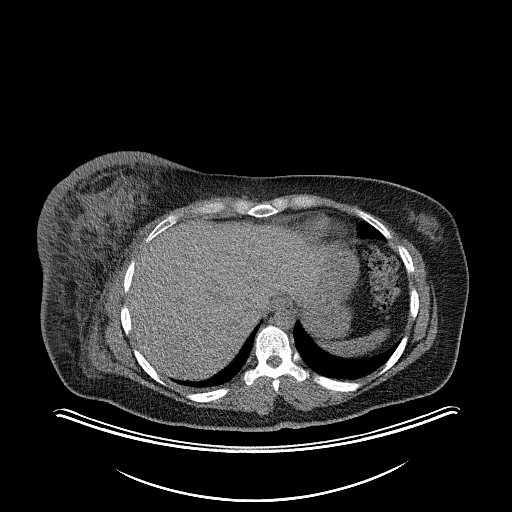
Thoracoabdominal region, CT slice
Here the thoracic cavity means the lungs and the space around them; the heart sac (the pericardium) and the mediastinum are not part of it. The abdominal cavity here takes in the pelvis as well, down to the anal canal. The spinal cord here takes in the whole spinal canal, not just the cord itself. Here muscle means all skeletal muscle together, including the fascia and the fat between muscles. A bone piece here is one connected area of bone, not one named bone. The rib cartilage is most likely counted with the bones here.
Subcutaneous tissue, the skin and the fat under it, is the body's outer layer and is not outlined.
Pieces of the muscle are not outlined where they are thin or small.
{"torso":[[[118,150],[150,152],[207,173],[371,177],[415,189],[437,200],[455,219],[469,273],[459,350],[448,380],[429,395],[380,407],[342,421],[254,432],[162,424],[70,391],[58,376],[41,335],[42,270],[36,249],[36,226],[45,198],[60,180],[87,160]]],"muscle":[[[213,196],[244,196],[271,202],[252,204],[248,200],[238,198],[229,204],[237,214],[209,215],[228,207],[224,201],[209,201],[191,209],[194,214],[206,215],[181,221],[181,211],[170,213],[146,236],[147,245],[136,263],[130,260],[123,276],[123,290],[129,295],[128,304],[120,308],[121,327],[125,335],[133,333],[138,348],[132,349],[133,355],[157,383],[166,387],[165,378],[191,392],[184,395],[187,399],[205,403],[225,396],[230,388],[222,386],[246,363],[253,365],[242,372],[243,382],[250,386],[266,376],[276,393],[283,375],[298,382],[311,379],[327,390],[354,392],[363,384],[354,380],[382,366],[377,375],[386,372],[406,348],[409,338],[403,335],[409,318],[416,318],[420,301],[417,289],[410,289],[408,275],[415,268],[409,251],[400,243],[397,251],[388,240],[393,237],[390,231],[371,214],[409,240],[422,256],[437,305],[437,332],[431,347],[391,377],[346,401],[304,411],[281,400],[264,415],[192,406],[127,377],[97,371],[88,358],[89,333],[100,301],[117,276],[132,241],[157,217]],[[288,194],[313,194],[322,197],[327,197],[340,202],[355,205],[358,207],[355,206],[352,208],[352,211],[355,215],[352,215],[333,207],[317,206],[320,204],[321,200],[319,198],[312,195],[298,194],[291,197],[288,197],[284,196],[284,195]]],"spinal_cord":[[[271,356],[277,356],[278,357],[279,357],[280,358],[280,359],[281,360],[281,361],[280,362],[280,363],[277,366],[276,366],[275,367],[273,367],[272,366],[271,366],[270,365],[269,365],[267,363],[267,360]]],"pericardium":[[[310,212],[336,213],[337,214],[340,214],[342,215],[346,219],[347,219],[348,221],[348,223],[350,226],[350,235],[349,236],[337,237],[336,238],[319,238],[301,229],[299,229],[291,223],[291,218],[294,216],[299,216],[302,214],[307,214]]],"bones":[{"outer":[[268,325],[280,328],[293,340],[291,346],[312,372],[331,379],[359,382],[361,386],[354,391],[337,391],[327,389],[311,378],[298,381],[289,374],[278,378],[277,392],[272,379],[266,375],[247,385],[242,379],[243,372],[254,365],[247,360],[258,331]],"hole":[[271,356],[277,356],[278,357],[279,357],[280,358],[280,359],[281,360],[281,361],[280,362],[280,363],[277,366],[276,366],[275,367],[273,367],[272,366],[271,366],[270,365],[269,365],[267,363],[267,360]]},[[298,195],[315,197],[320,200],[319,204],[316,206],[305,208],[286,208],[282,211],[267,217],[255,217],[247,214],[238,214],[234,212],[230,207],[230,204],[238,199],[248,201],[252,205],[255,205],[259,203],[271,203],[275,198],[280,196],[291,198]],[[221,387],[228,387],[229,388],[228,392],[225,395],[211,401],[206,401],[205,402],[198,402],[197,401],[194,401],[187,398],[185,395],[188,393],[199,393],[200,392],[207,392],[208,391],[211,391],[212,390],[218,389]],[[181,212],[182,214],[178,219],[176,223],[175,223],[173,225],[165,229],[161,233],[158,234],[155,237],[154,237],[149,242],[145,242],[145,239],[147,237],[147,236],[154,228],[154,227],[159,222],[160,222],[170,214],[174,214],[175,213],[180,213]],[[355,207],[357,208],[359,208],[367,212],[373,217],[374,217],[378,221],[379,221],[383,225],[384,225],[389,231],[392,237],[389,239],[387,239],[375,227],[374,227],[366,221],[363,220],[361,218],[358,217],[353,211],[353,208]],[[133,349],[137,349],[142,354],[142,355],[145,358],[145,359],[147,360],[147,361],[157,372],[157,373],[160,376],[161,379],[166,383],[167,385],[166,386],[162,385],[160,383],[157,382],[154,379],[153,379],[141,367],[141,366],[138,363],[134,355]],[[218,201],[220,201],[221,202],[224,202],[227,205],[227,207],[226,209],[218,213],[213,213],[212,214],[200,214],[199,213],[194,213],[192,212],[192,209],[193,209],[195,207],[200,206],[205,203],[208,203],[209,202],[217,202]],[[404,336],[407,336],[408,338],[407,339],[407,342],[406,343],[406,345],[405,346],[405,348],[403,352],[401,354],[397,361],[391,367],[390,367],[382,374],[378,375],[378,372],[383,367],[384,364],[391,356],[391,355],[399,344],[402,337]],[[399,244],[401,245],[403,245],[406,248],[406,249],[408,251],[411,257],[411,259],[413,263],[413,267],[414,268],[414,271],[412,273],[409,273],[408,274],[406,271],[405,266],[400,257],[400,255],[398,253],[398,249],[397,248],[397,245]],[[124,304],[126,304],[126,305],[128,308],[128,310],[129,311],[129,314],[130,315],[130,318],[131,319],[131,331],[129,333],[129,334],[128,335],[125,334],[125,333],[124,332],[124,330],[122,327],[122,324],[121,323],[121,308],[122,307],[122,306]],[[413,287],[414,287],[417,291],[417,293],[418,294],[418,300],[419,301],[419,304],[418,305],[418,309],[417,310],[417,314],[414,319],[413,319],[410,316],[410,312],[409,311],[409,307],[410,306],[409,305],[410,304],[410,290],[411,288]],[[131,260],[134,260],[135,262],[135,264],[134,265],[134,271],[133,272],[133,275],[132,276],[132,280],[131,281],[131,285],[129,288],[129,291],[127,293],[126,293],[124,290],[123,281],[124,280],[124,276],[125,275],[126,270]]],"thoracic_cavity":[[[296,321],[299,322],[303,331],[318,348],[332,356],[343,359],[369,358],[384,352],[398,340],[400,339],[400,340],[383,365],[378,367],[370,373],[356,379],[341,380],[319,374],[313,371],[304,363],[299,352],[292,346],[292,343],[294,342],[293,330]],[[260,323],[254,338],[253,349],[248,356],[245,364],[235,376],[229,381],[224,383],[220,387],[207,391],[192,392],[185,387],[174,383],[170,380],[173,379],[190,382],[200,382],[211,378],[214,375],[217,374],[218,372],[225,368],[234,359],[254,328]],[[364,221],[365,222],[366,222],[368,224],[369,224],[371,226],[372,226],[374,228],[375,228],[386,239],[386,241],[384,241],[381,239],[378,239],[375,237],[358,237],[358,236],[357,235],[357,227],[359,224],[360,224],[362,222],[363,222]]],"abdominal_cavity":[[[207,215],[289,216],[293,226],[319,239],[351,234],[387,240],[399,255],[409,284],[409,317],[401,338],[369,357],[332,355],[318,347],[292,310],[280,303],[211,377],[200,381],[162,377],[138,349],[132,331],[128,305],[135,266],[146,246],[165,230]]],"mediastinum":[[[280,304],[285,304],[285,305],[291,310],[295,316],[295,322],[292,330],[292,338],[290,338],[288,334],[280,327],[276,326],[273,324],[268,324],[262,327],[259,330],[260,325],[264,318],[265,318],[266,316],[276,307],[276,306],[278,306]],[[312,207],[333,208],[352,216],[355,216],[363,221],[357,225],[356,235],[354,235],[351,233],[351,226],[348,219],[340,213],[326,212],[325,211],[310,211],[307,213],[302,213],[299,215],[294,215],[293,216],[274,215],[282,212],[286,209],[305,209]]]}